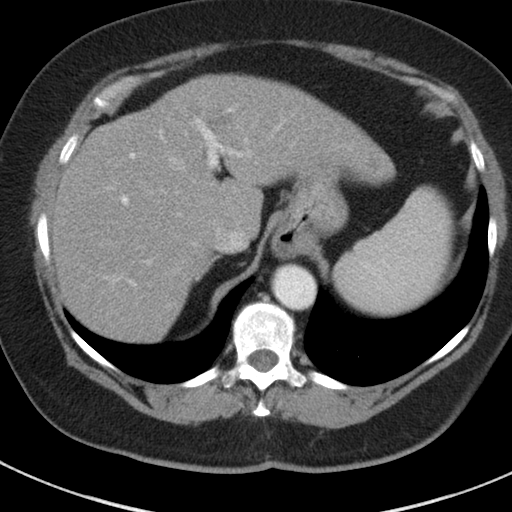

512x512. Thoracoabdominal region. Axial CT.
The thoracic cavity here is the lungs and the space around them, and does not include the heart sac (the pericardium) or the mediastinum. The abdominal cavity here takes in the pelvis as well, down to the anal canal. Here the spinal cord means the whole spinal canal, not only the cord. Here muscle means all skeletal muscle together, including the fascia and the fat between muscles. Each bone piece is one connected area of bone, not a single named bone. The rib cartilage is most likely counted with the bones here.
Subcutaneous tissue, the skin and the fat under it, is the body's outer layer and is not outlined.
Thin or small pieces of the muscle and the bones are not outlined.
The abdominal cavity is outlined by [[266,44],[320,50],[452,107],[481,183],[457,275],[411,313],[364,319],[338,308],[319,286],[311,261],[266,256],[257,275],[232,288],[209,325],[189,339],[131,344],[90,331],[62,305],[48,229],[54,181],[86,124],[104,104],[166,72],[228,49]]. The mediastinum is outlined by [[266,257],[276,260],[300,257],[311,262],[315,267],[318,289],[303,332],[303,351],[294,344],[297,331],[294,318],[284,308],[274,302],[256,300],[246,303],[237,312],[232,320],[234,311],[240,298],[252,283],[254,277],[258,275],[262,260]]. The bones appear in 11 outlined pieces: piece 1: [[256,301],[274,303],[293,318],[296,331],[290,356],[298,370],[305,373],[314,369],[348,384],[349,388],[332,389],[310,379],[300,387],[278,379],[263,391],[249,379],[237,379],[231,387],[224,387],[222,375],[235,364],[236,358],[232,321],[246,304]]; inner edge: [[264,349],[266,349],[267,350],[270,350],[272,352],[273,352],[277,356],[277,361],[276,363],[271,368],[270,368],[268,370],[266,371],[260,371],[256,369],[249,363],[248,358],[249,356],[253,352],[257,350],[263,350]]; piece 2: [[153,71],[164,71],[165,72],[162,75],[148,79],[137,87],[134,88],[131,91],[128,91],[117,97],[113,98],[111,100],[104,103],[98,108],[94,106],[93,104],[93,99],[94,97],[108,84],[118,78],[129,74],[143,74],[147,72],[152,72]]; piece 3: [[41,212],[45,212],[47,217],[47,229],[48,230],[48,240],[49,241],[49,249],[50,250],[50,253],[49,254],[50,255],[50,260],[49,263],[46,262],[43,256],[43,254],[40,249],[39,243],[36,236],[37,221],[38,220],[38,217]]; piece 4: [[70,328],[72,328],[91,347],[92,347],[109,362],[110,362],[113,365],[118,368],[120,370],[120,371],[119,372],[109,367],[103,366],[98,363],[91,357],[90,357],[76,343],[76,342],[72,338],[69,332],[69,329]]; piece 5: [[468,323],[470,324],[470,327],[467,333],[458,343],[457,345],[456,345],[449,352],[448,352],[441,358],[429,364],[427,364],[426,365],[421,365],[421,364],[424,361],[425,361],[428,358],[429,358],[432,355],[433,355],[438,350],[439,350],[466,324]]; piece 6: [[414,77],[422,78],[423,79],[428,80],[430,82],[432,82],[436,85],[440,86],[449,92],[453,93],[455,96],[456,103],[455,104],[449,103],[446,100],[437,96],[433,93],[431,93],[425,90],[422,87],[416,85],[412,80],[412,78]]; piece 7: [[216,363],[218,363],[220,365],[220,367],[221,368],[221,373],[217,377],[209,381],[207,381],[200,385],[198,385],[194,387],[181,387],[178,385],[178,384],[180,382],[183,382],[188,379],[190,379],[204,372],[206,370],[209,369]]; piece 8: [[489,215],[492,215],[494,216],[496,220],[496,224],[497,225],[497,239],[496,240],[496,245],[495,246],[495,249],[494,250],[494,253],[493,254],[493,256],[490,259],[489,259],[489,256],[488,255],[488,246],[487,245],[487,233],[488,232]]; piece 9: [[75,132],[77,132],[79,134],[79,137],[77,141],[77,145],[73,150],[67,162],[64,164],[62,164],[60,163],[58,160],[59,159],[59,155],[60,154],[60,152],[64,144],[66,142],[68,138],[73,133]]; piece 10: [[260,399],[262,399],[263,400],[263,402],[264,403],[264,404],[265,405],[265,406],[270,411],[270,413],[268,415],[267,415],[266,416],[256,416],[255,415],[254,415],[252,413],[252,410],[253,409],[254,409],[256,407],[256,406],[258,403],[258,401]]; piece 11: [[295,348],[297,348],[298,349],[299,349],[305,354],[305,355],[307,357],[307,358],[310,363],[309,364],[307,364],[306,365],[303,365],[299,362],[299,357],[298,356],[296,356],[295,355],[294,355],[294,354],[293,353],[293,351],[295,349]]. The muscle appears in 2 outlined pieces: piece 1: [[266,38],[272,39],[294,38],[305,40],[318,40],[366,48],[396,58],[452,85],[463,96],[477,118],[485,138],[493,149],[496,159],[503,172],[505,180],[508,234],[501,250],[498,268],[498,277],[496,281],[492,301],[483,328],[476,341],[470,349],[460,358],[441,370],[427,381],[419,385],[393,405],[377,413],[364,422],[342,428],[325,430],[317,426],[307,425],[302,423],[296,424],[281,420],[275,421],[268,418],[264,420],[262,419],[254,420],[248,417],[239,421],[235,420],[227,423],[218,423],[214,425],[205,425],[202,427],[198,427],[191,425],[175,424],[147,415],[135,409],[112,390],[90,379],[73,366],[67,364],[64,351],[48,317],[36,283],[32,257],[32,251],[34,248],[34,245],[32,244],[33,236],[32,230],[28,226],[28,215],[30,210],[30,205],[34,196],[33,186],[35,172],[48,148],[63,131],[76,107],[94,84],[107,73],[118,68],[127,65],[133,65],[145,62],[161,55],[190,47],[199,46],[203,43],[223,42],[228,40],[239,42],[242,40]] with holes at [[266,44],[317,49],[414,86],[412,78],[422,78],[454,94],[456,103],[449,104],[467,143],[473,140],[483,156],[477,175],[497,225],[467,333],[429,364],[347,389],[310,379],[300,387],[278,379],[263,391],[237,379],[226,388],[221,378],[236,358],[231,340],[215,361],[221,373],[194,387],[101,365],[72,338],[52,264],[36,236],[40,213],[50,213],[64,144],[98,110],[94,97],[122,76],[169,72],[228,49]] and at [[260,399],[262,399],[263,400],[263,402],[264,403],[264,404],[265,405],[265,406],[270,411],[270,413],[268,415],[267,415],[266,416],[256,416],[255,415],[254,415],[252,413],[252,410],[253,409],[254,409],[256,407],[256,406],[258,403],[258,401]]; piece 2: [[294,345],[295,347],[294,349],[293,350],[292,351],[292,353],[294,356],[298,357],[298,362],[303,366],[306,366],[307,365],[311,364],[314,368],[308,368],[305,372],[303,372],[301,370],[298,369],[295,366],[294,362],[291,356],[291,353],[292,352],[292,350],[293,349],[293,346]]. The spinal cord is outlined by [[264,349],[266,349],[267,350],[270,350],[272,352],[273,352],[277,356],[277,361],[276,363],[271,368],[270,368],[268,370],[266,371],[260,371],[256,369],[249,363],[248,358],[249,356],[253,352],[257,350],[263,350]]. The torso is outlined by [[182,0],[361,0],[405,12],[446,30],[482,53],[511,82],[511,336],[467,407],[449,428],[427,445],[387,462],[333,472],[276,468],[243,473],[184,470],[108,452],[67,436],[38,412],[15,377],[0,347],[0,136],[26,86],[65,45],[104,23]]. The thoracic cavity appears in 2 outlined pieces: piece 1: [[480,185],[484,187],[488,206],[486,233],[488,263],[481,296],[467,323],[420,364],[383,382],[370,385],[349,384],[317,370],[304,352],[304,332],[319,287],[327,293],[338,309],[357,319],[390,320],[411,314],[427,305],[447,289],[462,267],[469,245]]; piece 2: [[251,277],[253,277],[253,280],[239,298],[232,314],[231,340],[214,364],[204,371],[179,382],[152,382],[121,370],[91,346],[71,326],[63,309],[67,310],[79,324],[90,332],[115,342],[131,345],[183,342],[203,332],[214,319],[222,300],[232,289]].